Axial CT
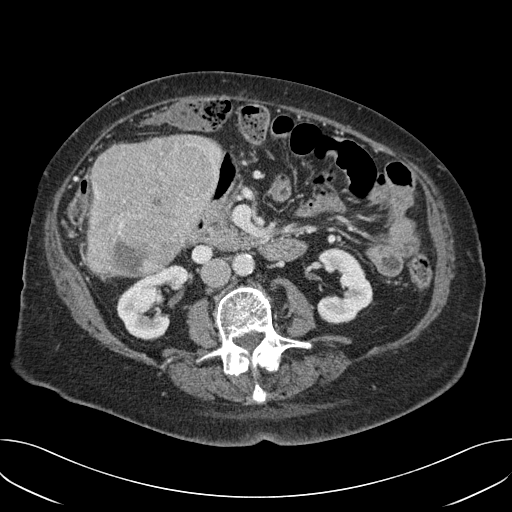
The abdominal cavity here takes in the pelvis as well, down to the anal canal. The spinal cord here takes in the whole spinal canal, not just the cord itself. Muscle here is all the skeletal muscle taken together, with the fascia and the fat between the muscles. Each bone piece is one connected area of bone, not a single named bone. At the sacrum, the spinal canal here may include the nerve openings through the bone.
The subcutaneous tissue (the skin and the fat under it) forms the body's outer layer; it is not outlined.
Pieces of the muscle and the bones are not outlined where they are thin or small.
Outlines:
muscle: 191,94 226,94 227,95 241,94 243,96 247,96 250,98 258,98 261,100 273,101 298,108 303,108 333,119 340,123 350,125 352,128 363,133 368,137 378,142 383,143 395,151 405,154 410,160 428,174 439,190 448,215 449,224 452,230 455,253 455,268 454,269 455,274 450,282 447,301 441,312 414,341 408,343 404,347 399,348 396,352 384,353 379,356 368,358 357,363 352,367 349,367 337,379 326,385 324,388 322,387 315,391 304,391 303,395 301,396 286,397 273,403 265,403 262,405 255,406 235,407 229,405 215,404 209,401 204,401 180,390 173,384 170,378 166,374 158,374 158,370 156,368 146,365 141,362 138,362 105,347 97,339 91,336 75,322 71,315 70,310 56,292 56,287 50,273 45,254 44,221 46,217 46,211 49,204 52,202 53,196 74,165 104,128 126,114 146,105 171,97 185,96; inner edge: 207,98 333,126 404,162 425,194 436,259 423,315 400,337 353,356 346,335 306,337 316,327 313,307 289,279 276,277 271,283 285,293 281,335 312,347 287,348 276,371 257,369 263,403 252,397 250,367 236,376 224,373 219,356 196,362 221,343 208,299 186,313 194,350 167,346 157,358 144,355 109,329 60,232 73,175 108,131 150,109
bones: 239,286 250,286 267,294 277,333 312,344 309,349 287,348 281,354 276,371 257,369 256,380 266,393 263,403 257,403 252,397 256,379 250,367 236,376 224,373 219,356 196,362 220,345 212,313 220,299; inner edge: 252,331 255,331 259,333 262,333 263,334 263,337 260,341 260,342 251,351 249,351 247,349 236,344 233,341 233,339 234,338 236,338 237,337 240,337 244,334 246,333 248,333 249,332 251,332
spinal cord: 252,331 255,331 259,333 262,333 263,334 263,337 260,341 260,342 251,351 249,351 247,349 236,344 233,341 233,339 234,338 236,338 237,337 240,337 244,334 246,333 248,333 249,332 251,332
torso: 200,70 276,77 354,100 413,134 451,172 476,220 486,286 467,369 448,391 392,421 331,440 302,445 262,440 219,447 174,438 68,401 10,369 7,353 19,309 27,231 47,163 89,115 117,94 154,78
abdominal cavity: 207,98 311,118 417,174 436,259 411,329 350,355 346,335 306,337 313,307 281,276 271,283 285,293 284,334 268,294 250,285 215,307 205,297 188,306 194,350 155,358 109,329 63,246 70,182 119,124